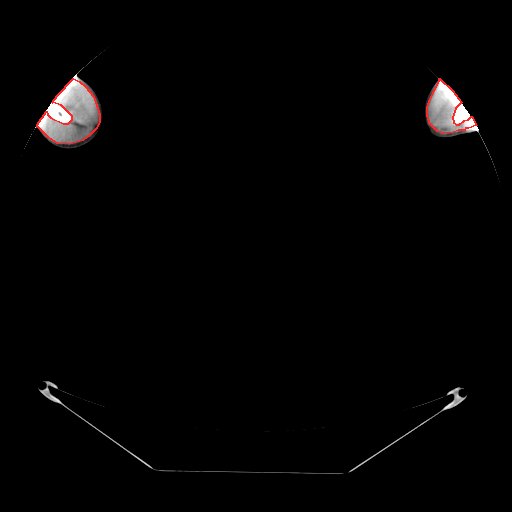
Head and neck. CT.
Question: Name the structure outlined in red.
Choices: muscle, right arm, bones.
Answer: red: muscle.
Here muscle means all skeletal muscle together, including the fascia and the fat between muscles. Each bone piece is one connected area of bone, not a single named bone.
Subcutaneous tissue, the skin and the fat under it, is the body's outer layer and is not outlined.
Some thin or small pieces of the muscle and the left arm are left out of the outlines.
The muscle appears in 2 outlined pieces: piece 1: 73,78 79,81 85,86 93,96 99,114 99,121 96,128 88,136 82,140 69,144 57,143 48,137 37,126 37,124 46,111 47,114 50,117 63,123 68,123 72,119 72,116 61,105 52,102 57,95; piece 2: 439,78 452,90 461,102 455,108 452,117 453,122 456,124 459,124 464,120 468,119 471,116 476,125 468,128 465,128 464,130 458,130 453,132 443,133 437,131 430,124 427,115 427,107 430,98 439,81. The left arm is outlined by 438,78 442,80 457,96 472,117 476,125 477,130 474,130 470,133 466,133 465,134 462,134 453,137 448,137 447,138 438,138 430,134 424,123 422,109 423,108 423,104 425,97 429,89 431,86 437,81. The bones appear in 2 outlined pieces: piece 1: 51,103 53,103 54,104 56,104 57,105 59,105 60,106 61,106 71,116 71,119 68,122 63,122 62,121 57,120 56,119 55,119 53,117 50,116 48,114 48,113 47,112 47,109 48,108 49,105; piece 2: 462,103 463,104 464,107 466,109 466,110 470,115 470,116 468,118 467,118 466,119 464,119 459,123 456,123 455,122 454,122 454,120 453,119 453,117 454,116 454,114 455,113 455,111 456,110 456,108. The right arm is outlined by 75,74 93,91 100,106 101,114 102,115 101,123 96,134 87,141 82,143 80,145 78,146 62,146 61,145 57,145 55,143 50,141 43,135 43,134 38,129 37,124 48,108 49,105 64,88 68,81. The head and neck is outlined by 258,244 259,244 260,244 261,244 262,245 263,246 262,247 261,247 260,246 259,246 258,246 257,247 256,248 256,249 255,250 254,250 253,249 253,248 254,247 254,246 255,245 256,245 257,245.